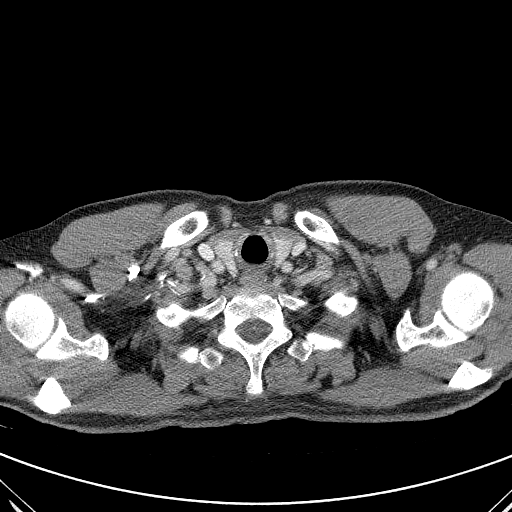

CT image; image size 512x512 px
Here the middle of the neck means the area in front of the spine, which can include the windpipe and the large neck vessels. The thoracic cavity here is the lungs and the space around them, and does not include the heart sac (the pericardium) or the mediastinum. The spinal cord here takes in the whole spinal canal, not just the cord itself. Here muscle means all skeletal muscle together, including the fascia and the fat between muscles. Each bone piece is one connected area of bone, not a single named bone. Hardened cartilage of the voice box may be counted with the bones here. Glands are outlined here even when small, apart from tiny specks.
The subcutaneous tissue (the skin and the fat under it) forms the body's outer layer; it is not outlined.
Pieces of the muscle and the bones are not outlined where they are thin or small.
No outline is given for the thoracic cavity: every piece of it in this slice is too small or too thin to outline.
The torso is outlined by [[335,179],[404,182],[511,220],[454,249],[436,288],[451,335],[511,377],[498,390],[471,407],[420,421],[288,417],[103,434],[42,423],[0,405],[0,375],[34,365],[59,321],[42,282],[0,254],[0,239],[78,206],[147,190],[195,189],[248,201]]. The right arm is outlined by [[0,255],[9,260],[11,260],[18,264],[22,265],[41,282],[43,289],[48,298],[48,300],[52,307],[52,309],[58,321],[34,364],[27,368],[23,368],[22,369],[14,370],[13,371],[10,371],[9,372],[5,372],[4,373],[1,373],[0,374]]. The thyroid glands appear in 2 outlined pieces: piece 1: [[232,237],[234,238],[234,242],[231,248],[231,251],[233,254],[233,256],[232,257],[235,263],[235,267],[237,270],[235,273],[231,273],[229,271],[225,265],[223,260],[216,253],[215,251],[215,244],[216,243],[215,242],[216,240],[219,238],[231,238]]; piece 2: [[271,233],[275,233],[278,235],[284,236],[286,238],[288,238],[291,241],[290,243],[290,246],[288,250],[287,256],[285,258],[285,259],[284,259],[283,261],[282,261],[277,266],[275,265],[275,244],[274,243],[274,238],[273,237],[273,235]]. The bones appear in 8 outlined pieces: piece 1: [[240,287],[311,306],[340,289],[356,295],[342,317],[305,305],[285,318],[297,338],[313,330],[344,336],[345,345],[314,350],[303,362],[280,345],[263,363],[262,392],[247,393],[245,358],[216,341],[219,315],[177,329],[155,315],[170,301],[193,309]], around a hole outlined by [[256,319],[261,320],[267,323],[269,325],[270,328],[269,329],[269,331],[265,335],[265,336],[261,339],[261,340],[260,340],[256,343],[252,343],[244,339],[240,335],[240,334],[238,333],[237,331],[237,327],[239,325],[246,321],[253,321]]; piece 2: [[467,270],[475,271],[483,276],[494,289],[494,305],[483,324],[465,340],[446,347],[420,344],[406,352],[400,351],[395,337],[395,329],[404,309],[410,308],[412,321],[417,326],[428,325],[433,320],[433,316],[440,305],[440,296],[444,286],[456,274]]; piece 3: [[20,290],[37,292],[42,295],[52,306],[54,311],[63,319],[69,334],[74,338],[84,340],[95,332],[102,334],[108,341],[107,358],[105,360],[100,360],[94,356],[79,354],[62,361],[52,361],[38,358],[26,349],[7,331],[2,320],[7,302]]; piece 4: [[196,209],[205,209],[207,210],[207,213],[209,218],[209,224],[208,226],[204,230],[184,243],[179,244],[174,247],[166,248],[164,250],[161,250],[159,249],[159,245],[161,242],[161,240],[163,236],[163,231],[166,228],[166,227],[175,220]]; piece 5: [[51,375],[57,376],[57,380],[60,383],[64,393],[70,400],[70,402],[71,403],[71,405],[69,407],[64,409],[62,413],[59,413],[58,414],[48,413],[35,406],[32,403],[34,400],[34,395],[37,393],[39,388],[45,379],[48,376],[50,376]]; piece 6: [[296,209],[300,209],[301,210],[304,210],[305,209],[308,210],[310,212],[316,215],[318,215],[325,219],[332,227],[339,238],[337,240],[336,243],[333,243],[324,240],[314,240],[309,237],[307,234],[306,234],[296,225],[293,220],[293,214],[294,211]]; piece 7: [[464,360],[472,362],[476,366],[480,368],[484,368],[485,367],[491,366],[493,367],[494,375],[483,383],[481,383],[479,385],[468,390],[460,390],[459,389],[453,389],[452,388],[450,388],[448,387],[447,385],[448,384],[448,382],[458,366],[461,362]]; piece 8: [[195,344],[201,348],[203,348],[205,346],[209,345],[210,346],[213,346],[221,350],[224,355],[223,360],[220,364],[217,365],[211,370],[207,369],[199,362],[197,362],[196,363],[189,363],[183,360],[180,360],[177,357],[177,352],[186,345],[194,345]]. The spinal cord is outlined by [[256,319],[261,320],[267,323],[269,325],[270,328],[269,329],[269,331],[265,335],[265,336],[261,339],[261,340],[260,340],[256,343],[252,343],[244,339],[240,335],[240,334],[238,333],[237,331],[237,327],[239,325],[246,321],[253,321]]. The muscle is outlined by [[333,192],[398,194],[415,200],[436,228],[432,252],[444,245],[481,240],[511,244],[511,363],[498,374],[491,365],[480,367],[464,359],[446,385],[458,391],[378,409],[323,401],[304,393],[218,397],[149,417],[63,413],[72,403],[58,376],[53,374],[33,395],[31,403],[36,407],[0,395],[0,268],[51,258],[50,247],[74,219],[153,200],[171,204],[214,201],[226,203],[236,212],[249,213],[268,209],[275,201]]; inner edges: [[240,287],[312,294],[317,305],[340,289],[356,295],[342,317],[305,305],[285,318],[297,338],[313,330],[344,336],[345,345],[303,362],[280,345],[263,363],[262,392],[247,393],[245,358],[216,341],[219,315],[177,329],[155,315],[170,301],[193,309]], then [[467,270],[475,271],[483,276],[494,289],[494,305],[483,324],[465,340],[446,347],[420,344],[406,352],[400,351],[395,337],[395,329],[404,309],[410,308],[412,321],[417,326],[428,325],[433,320],[433,316],[440,305],[440,296],[444,286],[456,274]], then [[20,290],[37,292],[42,295],[52,306],[54,311],[63,319],[69,334],[74,338],[84,340],[95,332],[102,334],[108,341],[107,358],[105,360],[100,360],[94,356],[79,354],[62,361],[52,361],[38,358],[26,349],[7,331],[2,320],[7,302]], then [[253,229],[265,230],[284,236],[291,241],[298,240],[303,244],[303,251],[293,262],[293,265],[281,277],[275,280],[270,279],[262,283],[228,279],[226,277],[220,277],[200,258],[198,249],[201,244],[213,244],[219,238],[231,238]], then [[196,209],[205,209],[207,210],[207,213],[209,218],[209,224],[208,226],[204,230],[184,243],[179,244],[174,247],[166,248],[164,250],[161,250],[159,249],[159,245],[161,242],[161,240],[163,236],[163,231],[166,228],[166,227],[175,220]], then [[296,209],[300,209],[301,210],[304,210],[305,209],[308,210],[310,212],[316,215],[318,215],[325,219],[332,227],[339,238],[337,240],[336,243],[333,243],[324,240],[314,240],[309,237],[307,234],[306,234],[296,225],[293,220],[293,214],[294,211]], then [[195,344],[201,348],[203,348],[205,346],[209,345],[210,346],[213,346],[221,350],[224,355],[223,360],[220,364],[217,365],[211,370],[207,369],[199,362],[197,362],[196,363],[189,363],[183,360],[180,360],[177,357],[177,352],[186,345],[194,345]]. The middle of the neck is outlined by [[253,229],[265,230],[272,235],[274,265],[276,267],[288,256],[292,241],[298,240],[303,244],[303,251],[281,277],[262,283],[228,279],[220,277],[200,258],[198,251],[200,245],[215,243],[215,253],[228,271],[235,274],[238,270],[232,251],[234,237]]. The left arm is outlined by [[510,222],[511,222],[511,376],[508,376],[496,370],[496,369],[489,363],[456,339],[452,335],[450,332],[447,322],[444,317],[444,315],[437,299],[437,288],[440,282],[443,272],[445,269],[446,264],[449,259],[449,257],[451,253],[452,253],[454,250]].